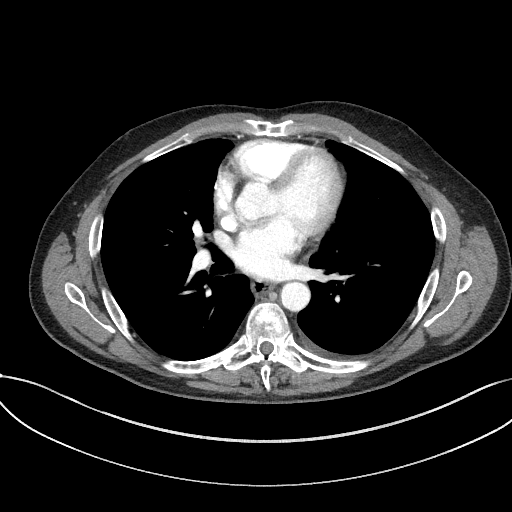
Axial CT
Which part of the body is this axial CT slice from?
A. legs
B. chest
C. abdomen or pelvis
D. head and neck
Answer: B. chest
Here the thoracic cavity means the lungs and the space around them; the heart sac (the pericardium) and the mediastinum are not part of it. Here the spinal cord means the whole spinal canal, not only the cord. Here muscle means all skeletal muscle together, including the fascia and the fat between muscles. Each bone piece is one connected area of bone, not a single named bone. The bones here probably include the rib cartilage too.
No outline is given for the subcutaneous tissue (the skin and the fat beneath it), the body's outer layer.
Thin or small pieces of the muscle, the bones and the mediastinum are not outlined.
{"muscle":[{"outer":[[281,396],[344,387],[423,349],[460,338],[479,319],[491,296],[497,280],[497,255],[485,226],[472,226],[462,220],[427,175],[401,154],[338,117],[317,112],[286,114],[276,119],[292,118],[296,124],[308,122],[323,127],[322,131],[311,133],[324,133],[339,140],[328,131],[335,129],[373,147],[405,170],[404,176],[429,210],[433,204],[441,209],[447,235],[443,243],[435,242],[431,268],[440,268],[440,278],[433,300],[412,329],[408,326],[415,306],[402,326],[370,357],[371,365],[358,372],[331,374],[307,369],[296,373],[272,363],[271,390],[267,392],[259,373],[261,363],[236,371],[220,366],[201,374],[177,374],[163,369],[159,363],[165,357],[148,346],[129,324],[134,337],[130,342],[109,317],[100,295],[101,286],[109,287],[100,253],[93,259],[88,254],[88,231],[93,217],[104,213],[118,185],[142,163],[147,153],[201,126],[261,117],[246,112],[217,113],[158,139],[100,181],[98,193],[84,204],[76,227],[61,232],[51,243],[42,266],[42,291],[54,317],[68,334],[108,358],[207,391]],"holes":[[[425,327],[427,327],[439,316],[442,315],[452,304],[456,296],[459,293],[465,291],[468,288],[471,284],[471,279],[472,278],[468,271],[461,270],[457,274],[456,282],[455,283],[455,290],[451,299],[439,312],[425,320],[423,323],[423,325]],[[112,333],[115,331],[115,329],[112,326],[105,324],[100,321],[90,311],[86,304],[86,301],[85,300],[85,297],[84,296],[83,292],[75,284],[71,282],[66,282],[64,285],[64,291],[68,298],[72,302],[82,307],[96,322],[97,322],[101,326]]]}],"torso":[[[254,404],[330,400],[391,385],[469,350],[487,337],[505,314],[511,300],[511,254],[491,202],[401,120],[339,100],[274,108],[218,103],[179,109],[132,127],[116,138],[76,178],[46,217],[29,269],[28,293],[38,322],[56,343],[147,389],[197,400]]],"thoracic_cavity":[[[182,360],[207,356],[234,341],[243,329],[246,314],[253,302],[247,279],[231,273],[233,264],[216,246],[211,233],[212,186],[220,160],[232,147],[227,139],[205,138],[140,165],[119,185],[104,214],[100,252],[110,289],[129,323],[148,345],[166,357]],[[334,359],[369,357],[401,326],[415,305],[430,270],[435,239],[428,210],[403,176],[349,146],[328,139],[325,144],[347,171],[347,183],[335,222],[323,238],[319,250],[309,258],[308,281],[312,294],[310,303],[298,314],[291,327],[300,345],[321,356]]],"mediastinum":[[[291,325],[295,321],[297,314],[306,307],[310,300],[311,294],[307,281],[307,270],[281,280],[265,282],[254,280],[242,274],[235,268],[234,265],[232,273],[242,274],[249,281],[250,290],[254,296],[253,305],[261,301],[272,301],[277,303],[286,314]],[[227,256],[223,249],[223,247],[225,245],[225,238],[224,238],[223,236],[221,235],[221,234],[216,231],[215,229],[215,225],[213,222],[213,215],[213,225],[214,226],[214,230],[212,233],[214,235],[215,243],[217,245],[217,246],[221,250],[222,250]],[[233,146],[233,145],[235,143],[235,142],[236,141],[237,141],[237,140],[238,139],[241,139],[238,138],[235,135],[236,134],[221,134],[220,135],[218,135],[217,136],[210,137],[221,137],[222,138],[227,138],[228,139],[229,139],[233,143]]],"pericardium":[[[265,281],[281,279],[307,269],[306,262],[309,255],[316,249],[335,219],[345,186],[345,171],[321,139],[252,135],[247,138],[240,138],[242,139],[236,142],[219,165],[213,186],[213,214],[216,229],[226,238],[224,249],[234,262],[236,268],[254,279]]],"bones":[{"outer":[[267,391],[272,362],[296,372],[311,368],[331,373],[354,372],[371,363],[369,358],[328,359],[303,348],[295,341],[281,308],[272,302],[254,305],[242,333],[222,350],[196,360],[167,358],[160,363],[177,373],[201,373],[220,365],[236,370],[261,362]],"hole":[[264,354],[267,354],[268,353],[269,353],[272,350],[272,348],[273,347],[272,346],[272,344],[271,343],[270,343],[269,342],[268,342],[267,341],[265,341],[264,342],[263,342],[260,345],[260,350]]},[[143,163],[189,144],[196,138],[207,133],[231,131],[236,133],[238,137],[244,134],[300,136],[302,133],[315,132],[323,128],[308,123],[296,125],[292,119],[276,120],[270,118],[245,119],[240,124],[215,124],[182,134],[171,142],[147,154],[142,159]],[[410,328],[412,328],[419,321],[423,314],[428,308],[432,300],[432,298],[434,295],[434,293],[437,286],[438,279],[439,278],[439,268],[437,266],[431,269],[429,272],[428,276],[425,281],[425,283],[417,299],[417,302],[416,303],[416,314],[409,326]],[[130,341],[132,341],[133,340],[133,337],[131,333],[129,331],[129,329],[128,328],[128,321],[124,313],[118,305],[111,291],[107,287],[105,286],[103,286],[101,287],[101,295],[102,296],[102,299],[103,300],[104,305],[110,317],[112,319],[116,327]],[[402,175],[404,175],[404,170],[399,165],[373,148],[356,140],[350,135],[345,135],[335,130],[329,130],[330,132],[335,134],[340,139],[340,141],[342,143],[349,145],[357,149],[359,151],[361,151],[365,154],[371,156],[373,158],[395,169]],[[425,327],[427,327],[439,316],[442,315],[452,304],[456,296],[459,293],[465,291],[468,288],[471,284],[471,279],[472,278],[468,271],[461,270],[457,274],[456,282],[455,283],[455,290],[451,299],[439,312],[425,320],[423,323],[423,325]],[[112,333],[115,331],[115,329],[112,326],[105,324],[100,321],[90,311],[86,304],[86,301],[85,300],[85,297],[84,296],[83,292],[75,284],[71,282],[66,282],[64,285],[64,291],[68,298],[72,302],[82,307],[96,322],[97,322],[101,326]],[[92,258],[95,257],[100,251],[100,247],[101,246],[101,232],[102,231],[102,228],[103,227],[103,221],[104,220],[103,214],[101,213],[97,214],[94,217],[90,227],[90,230],[89,231],[89,244],[88,245],[88,249],[89,250],[89,254]],[[440,242],[443,242],[445,240],[445,236],[446,235],[446,226],[445,225],[445,220],[440,209],[437,206],[433,205],[431,207],[429,211],[430,212],[430,218],[431,219],[431,223],[432,224],[432,227],[433,228],[433,233],[434,234],[434,236],[435,238]]],"spinal_cord":[[[264,354],[267,354],[268,353],[269,353],[272,350],[272,348],[273,347],[272,346],[272,344],[271,343],[270,343],[269,342],[268,342],[267,341],[265,341],[264,342],[263,342],[260,345],[260,350]]]}